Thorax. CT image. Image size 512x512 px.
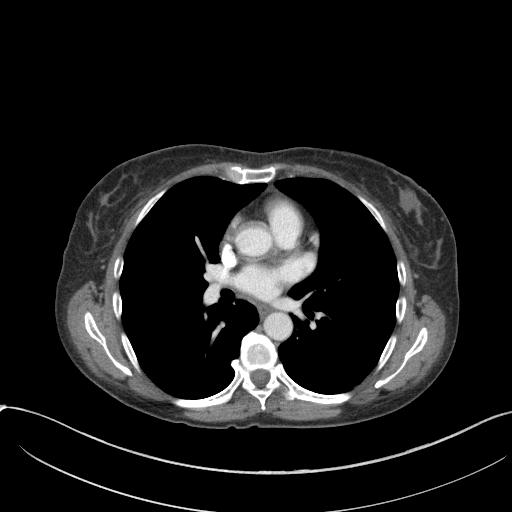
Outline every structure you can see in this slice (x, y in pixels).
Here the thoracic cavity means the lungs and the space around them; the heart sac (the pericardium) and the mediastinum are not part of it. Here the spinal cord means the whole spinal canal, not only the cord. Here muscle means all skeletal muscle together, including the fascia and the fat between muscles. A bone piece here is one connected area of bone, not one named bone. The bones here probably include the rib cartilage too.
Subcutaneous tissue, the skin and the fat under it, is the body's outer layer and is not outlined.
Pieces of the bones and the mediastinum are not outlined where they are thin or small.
thoracic cavity 1: (196, 176) (266, 186) (235, 213) (218, 244) (219, 282) (232, 291) (236, 300) (244, 300) (255, 308) (257, 324) (241, 338) (239, 355) (230, 362) (234, 372) (230, 382) (209, 396) (183, 398) (163, 390) (142, 369) (123, 326) (119, 280) (124, 253) (135, 228) (170, 188)
thoracic cavity 2: (286, 177) (327, 179) (355, 196) (386, 234) (396, 260) (399, 288) (394, 326) (375, 366) (347, 391) (327, 394) (308, 389) (287, 373) (279, 359) (278, 347) (292, 335) (295, 328) (290, 313) (294, 300) (288, 292) (315, 269) (320, 247) (319, 228) (311, 214) (274, 184)
mediastinum 1: (220, 258) (221, 269) (228, 283) (234, 289) (245, 295) (268, 301) (285, 294) (288, 290) (287, 293) (293, 300) (289, 313) (294, 328) (291, 335) (277, 348) (265, 334) (254, 330) (259, 321) (256, 308) (244, 299) (236, 299) (233, 291) (222, 285) (220, 282) (218, 271)
mediastinum 2: (276, 178) (282, 178) (278, 178) (276, 180) (275, 180) (274, 181) (274, 183) (273, 184) (274, 185) (274, 186) (277, 189) (276, 189) (273, 187) (268, 187) (267, 188) (267, 189) (266, 189) (259, 196) (258, 196) (266, 188) (266, 187) (267, 186) (266, 183) (267, 183)
mediastinum 3: (306, 210) (310, 214) (310, 215) (312, 217) (312, 218) (314, 220) (314, 222) (315, 223) (315, 224) (316, 225) (316, 226) (318, 228) (318, 230) (318, 229) (316, 227) (316, 226) (314, 224) (314, 221) (312, 219) (312, 218) (310, 216) (310, 215) (306, 211)
bones 1: (252, 330) (273, 343) (284, 370) (300, 386) (327, 395) (351, 391) (352, 396) (338, 404) (288, 400) (282, 385) (266, 398) (262, 410) (259, 400) (239, 387) (224, 403) (201, 408) (175, 405) (170, 397) (201, 399) (224, 389) (234, 377) (231, 362) (240, 355) (242, 338) with a hole at (258, 369) (262, 369) (263, 370) (265, 370) (266, 371) (267, 371) (268, 372) (268, 373) (269, 374) (269, 379) (268, 380) (268, 381) (262, 387) (258, 387) (251, 380) (251, 373) (253, 371) (254, 371) (255, 370) (257, 370)
bones 2: (275, 164) (280, 164) (281, 165) (281, 167) (277, 171) (277, 174) (275, 178) (267, 182) (236, 183) (233, 181) (231, 181) (227, 179) (224, 179) (223, 178) (225, 175) (225, 171) (226, 169) (231, 165) (237, 165) (242, 168) (264, 168)
bones 3: (86, 311) (89, 311) (91, 313) (98, 329) (105, 337) (106, 345) (110, 353) (117, 361) (126, 366) (131, 371) (132, 373) (131, 376) (126, 375) (120, 369) (115, 366) (112, 361) (108, 357) (103, 347) (95, 339) (90, 336) (85, 328) (85, 324) (84, 323) (84, 314)
bones 4: (422, 327) (425, 327) (427, 329) (427, 339) (421, 350) (411, 356) (407, 360) (405, 365) (402, 369) (389, 381) (383, 384) (378, 388) (374, 387) (374, 384) (378, 380) (383, 379) (390, 375) (399, 367) (403, 361) (405, 353) (410, 348) (415, 341) (416, 337) (420, 329)
bones 5: (392, 333) (394, 333) (396, 335) (396, 342) (395, 343) (395, 345) (388, 359) (386, 361) (386, 362) (383, 365) (383, 366) (377, 372) (375, 373) (374, 372) (374, 368) (376, 366) (378, 362) (378, 360) (380, 357) (380, 355) (382, 353) (385, 347) (385, 345)
bones 6: (122, 331) (124, 331) (125, 332) (130, 342) (130, 344) (137, 358) (138, 363) (141, 368) (141, 373) (139, 373) (135, 369) (135, 368) (133, 366) (132, 363) (130, 361) (129, 358) (126, 354) (126, 352) (124, 349) (124, 347) (121, 341) (121, 336) (120, 334)
bones 7: (164, 188) (166, 188) (167, 189) (167, 190) (157, 200) (157, 201) (152, 206) (152, 207) (149, 210) (149, 211) (143, 217) (143, 218) (139, 222) (139, 223) (134, 228) (134, 223) (139, 214) (139, 212) (141, 210) (141, 209) (143, 207) (143, 206) (152, 196) (153, 196)
bones 8: (358, 194) (359, 195) (361, 195) (368, 201) (369, 201) (380, 213) (384, 221) (384, 223) (386, 226) (386, 228) (387, 229) (387, 233) (386, 233) (384, 231) (382, 227) (379, 224) (379, 223) (376, 220) (374, 216) (370, 212) (370, 211) (367, 208) (367, 207) (356, 196)
bones 9: (399, 295) (404, 295) (405, 296) (405, 298) (406, 299) (406, 307) (405, 308) (405, 312) (404, 313) (404, 315) (403, 316) (403, 318) (401, 322) (400, 323) (397, 323) (396, 322) (396, 316) (395, 315) (395, 312) (396, 311) (396, 302) (397, 301) (397, 299)
bones 10: (115, 290) (119, 290) (119, 292) (120, 293) (120, 296) (121, 297) (121, 318) (119, 320) (118, 320) (116, 318) (116, 317) (115, 316) (115, 314) (114, 313) (114, 311) (113, 310) (113, 304) (112, 303) (112, 295) (113, 294) (113, 292)
bones 11: (399, 259) (400, 259) (401, 260) (402, 260) (403, 261) (403, 262) (404, 263) (404, 266) (405, 267) (405, 284) (404, 285) (404, 286) (402, 286) (401, 285) (400, 285) (400, 284) (399, 283) (399, 280) (398, 279) (398, 273) (397, 272) (397, 260) (398, 260)
torso: (187, 143) (260, 152) (294, 146) (356, 152) (408, 175) (436, 199) (450, 221) (456, 240) (459, 326) (447, 364) (423, 393) (387, 415) (337, 428) (201, 429) (169, 423) (130, 409) (79, 371) (62, 346) (54, 315) (56, 282) (75, 212) (90, 188) (112, 167) (150, 151)
pericardium: (268, 188) (273, 188) (281, 192) (297, 202) (305, 210) (319, 232) (319, 247) (316, 265) (309, 275) (295, 283) (285, 293) (275, 298) (265, 300) (245, 294) (234, 288) (229, 283) (229, 281) (222, 269) (220, 257) (220, 244) (228, 225) (236, 213) (259, 197)
spinal cord: (258, 369) (262, 369) (263, 370) (265, 370) (266, 371) (267, 371) (268, 372) (268, 373) (269, 374) (269, 379) (268, 380) (268, 381) (262, 387) (258, 387) (251, 380) (251, 373) (253, 371) (254, 371) (255, 370) (257, 370)
muscle: (223, 161) (249, 167) (231, 164) (222, 177) (192, 176) (152, 195) (138, 212) (123, 255) (114, 260) (112, 275) (119, 281) (119, 289) (112, 292) (112, 310) (115, 318) (121, 319) (124, 330) (119, 334) (120, 341) (134, 369) (139, 374) (142, 370) (172, 396) (168, 398) (172, 404) (181, 408) (201, 409) (224, 404) (240, 388) (256, 398) (264, 411) (267, 398) (282, 386) (281, 393) (288, 401) (342, 404) (353, 396) (351, 390) (354, 386) (373, 369) (377, 373) (387, 362) (397, 342) (393, 329) (396, 323) (402, 322) (406, 312) (406, 296) (399, 294) (400, 286) (406, 284) (406, 267) (402, 259) (396, 259) (381, 213) (361, 194) (354, 195) (327, 178) (276, 177) (282, 167) (280, 163) (260, 167) (284, 162) (311, 165) (340, 176) (377, 200) (389, 216) (409, 261) (417, 299) (423, 294) (430, 295) (446, 318) (440, 354) (418, 383) (367, 404) (348, 405) (337, 416) (329, 418) (289, 420) (261, 412) (242, 420) (211, 422) (176, 415) (167, 405) (113, 385) (88, 368) (74, 347) (66, 325) (66, 306) (70, 297) (89, 280) (97, 286) (102, 283) (124, 222) (142, 198) (184, 170) with holes at (86, 311) (89, 311) (91, 313) (98, 329) (105, 337) (106, 345) (110, 353) (117, 361) (126, 366) (131, 371) (132, 373) (131, 376) (126, 375) (120, 369) (115, 366) (112, 361) (108, 357) (103, 347) (95, 339) (90, 336) (85, 328) (85, 324) (84, 323) (84, 314) and at (422, 327) (425, 327) (427, 329) (427, 339) (421, 350) (411, 356) (407, 360) (405, 365) (402, 369) (389, 381) (383, 384) (378, 388) (374, 387) (374, 384) (378, 380) (383, 379) (390, 375) (399, 367) (403, 361) (405, 353) (410, 348) (415, 341) (416, 337) (420, 329)